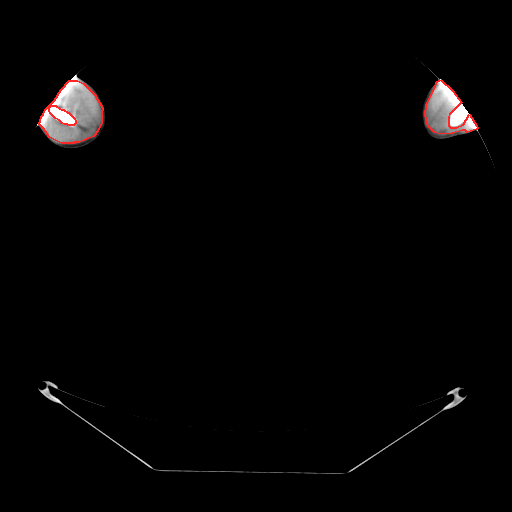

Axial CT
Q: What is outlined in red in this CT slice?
A: red: muscle.
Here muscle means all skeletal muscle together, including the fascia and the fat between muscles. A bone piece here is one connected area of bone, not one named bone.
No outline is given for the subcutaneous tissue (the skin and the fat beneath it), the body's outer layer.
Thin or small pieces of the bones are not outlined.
Outlined structures:
muscle 1: 69 80; 77 80; 83 83; 94 94; 102 107; 102 110; 101 111; 101 122; 97 131; 93 136; 79 142; 74 142; 73 143; 61 143; 49 137; 43 128; 39 124; 39 122; 40 121; 41 116; 43 114; 45 109; 54 100; 61 89; inner edge: 51 105; 55 105; 59 108; 61 109; 63 109; 67 112; 68 112; 74 118; 75 120; 75 123; 73 125; 68 125; 67 124; 64 124; 62 123; 59 120; 55 118; 50 113; 49 111; 49 107
muscle 2: 440 79; 452 90; 461 102; 449 114; 448 116; 448 125; 450 127; 456 127; 463 124; 469 114; 476 125; 477 128; 476 129; 467 132; 465 130; 462 130; 452 133; 439 134; 434 132; 428 126; 425 115; 426 104; 435 87; 436 82
left arm: 440 79; 441 79; 452 90; 463 104; 476 125; 477 128; 475 130; 474 129; 473 131; 469 133; 463 134; 462 135; 458 135; 445 139; 433 139; 426 135; 424 130; 422 128; 421 122; 420 121; 420 107; 423 98; 429 88; 432 84
bones 1: 460 103; 462 103; 463 104; 463 105; 465 107; 465 108; 469 113; 467 115; 467 116; 466 117; 466 118; 463 123; 462 123; 459 125; 457 125; 456 126; 450 126; 449 125; 449 116; 450 115; 450 114; 453 111; 453 110
bones 2: 51 105; 55 105; 59 108; 61 109; 63 109; 67 112; 68 112; 74 118; 75 120; 75 123; 73 125; 68 125; 67 124; 64 124; 62 123; 59 120; 55 118; 50 113; 49 111; 49 107
right arm: 74 75; 90 85; 98 95; 101 100; 102 105; 104 108; 105 121; 99 135; 93 141; 86 144; 69 147; 68 146; 63 146; 62 145; 57 144; 49 139; 46 134; 40 128; 39 126; 39 120; 43 114; 45 109; 54 100; 61 89